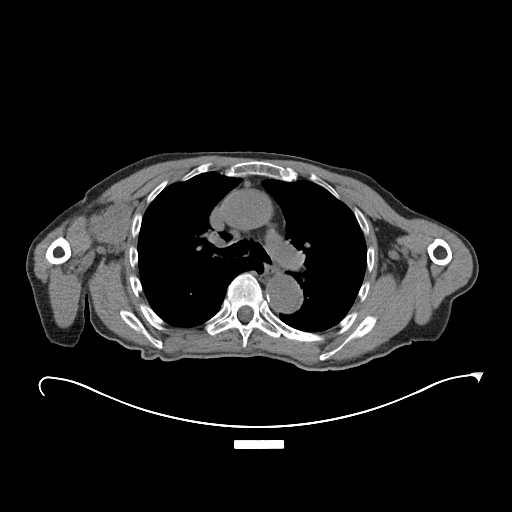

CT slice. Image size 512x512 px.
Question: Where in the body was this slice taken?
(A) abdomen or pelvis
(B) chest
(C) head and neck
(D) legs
Answer: (B) chest
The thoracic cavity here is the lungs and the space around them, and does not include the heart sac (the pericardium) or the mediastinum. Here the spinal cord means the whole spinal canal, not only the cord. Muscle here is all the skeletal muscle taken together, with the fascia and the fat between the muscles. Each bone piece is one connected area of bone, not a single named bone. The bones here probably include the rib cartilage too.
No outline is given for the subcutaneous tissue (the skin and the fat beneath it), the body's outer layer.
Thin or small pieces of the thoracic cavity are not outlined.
Outlines:
bones 1: (243, 272) (249, 272) (257, 280) (269, 308) (284, 323) (301, 331) (319, 333) (323, 335) (324, 339) (299, 341) (282, 334) (273, 337) (258, 328) (253, 328) (246, 346) (243, 347) (242, 336) (235, 327) (214, 335) (209, 334) (204, 328) (204, 323) (221, 308) (229, 284), around a hole outlined by (243, 306) (248, 306) (249, 307) (250, 307) (251, 308) (251, 309) (252, 310) (252, 311) (253, 312) (253, 314) (252, 315) (252, 317) (248, 321) (247, 321) (246, 322) (243, 322) (242, 321) (241, 321) (238, 318) (238, 311) (239, 310) (239, 309) (241, 307) (242, 307)
bones 2: (251, 160) (267, 161) (270, 163) (273, 163) (283, 167) (290, 167) (297, 172) (298, 174) (298, 178) (296, 180) (293, 181) (284, 181) (279, 179) (270, 178) (263, 175) (246, 175) (243, 177) (227, 176) (223, 173) (224, 170) (226, 168) (233, 164) (239, 162) (250, 161)
bones 3: (60, 236) (62, 236) (69, 243) (69, 245) (70, 246) (70, 249) (71, 250) (71, 254) (69, 258) (64, 262) (62, 263) (60, 263) (59, 264) (52, 264) (50, 263) (46, 259) (45, 257) (45, 253) (49, 245) (56, 238)
bones 4: (368, 315) (375, 316) (376, 317) (376, 321) (372, 328) (367, 333) (361, 337) (357, 337) (351, 339) (346, 344) (345, 344) (342, 348) (334, 353) (328, 359) (325, 360) (320, 360) (319, 359) (320, 354) (328, 352) (340, 345) (344, 340) (355, 330) (363, 319)
bones 5: (435, 238) (441, 238) (443, 239) (448, 244) (448, 245) (450, 247) (450, 249) (451, 250) (451, 259) (449, 261) (449, 262) (445, 265) (440, 265) (439, 264) (434, 263) (430, 259) (429, 257) (429, 255) (427, 251) (427, 246) (430, 243) (431, 243)
bones 6: (122, 309) (131, 311) (139, 319) (146, 330) (154, 338) (158, 339) (159, 340) (161, 340) (162, 342) (162, 348) (160, 349) (159, 348) (154, 347) (153, 345) (148, 340) (148, 339) (142, 333) (140, 332) (137, 332) (132, 328) (131, 328) (123, 320) (120, 315) (120, 310)
bones 7: (140, 303) (144, 303) (145, 304) (147, 304) (151, 308) (151, 309) (166, 323) (166, 324) (164, 326) (165, 327) (165, 329) (164, 330) (160, 330) (159, 329) (157, 329) (155, 327) (154, 327) (146, 319) (146, 318) (144, 316) (140, 309) (140, 307) (139, 306)
bones 8: (352, 311) (356, 311) (357, 312) (357, 316) (355, 318) (354, 321) (352, 323) (352, 324) (345, 331) (344, 331) (342, 333) (337, 334) (337, 331) (339, 329) (339, 327) (337, 325) (338, 324) (338, 323) (342, 319) (343, 319) (344, 318) (344, 317) (349, 312) (351, 312)
bones 9: (353, 207) (356, 207) (358, 208) (362, 212) (362, 213) (366, 218) (366, 220) (368, 224) (368, 227) (369, 228) (369, 233) (368, 235) (366, 236) (364, 236) (364, 234) (352, 210)
bones 10: (206, 162) (211, 162) (212, 163) (212, 165) (209, 168) (209, 170) (208, 171) (199, 173) (185, 180) (179, 180) (179, 179) (181, 177) (182, 177) (184, 175) (188, 173) (192, 169)
bones 11: (312, 172) (314, 173) (320, 179) (321, 179) (323, 181) (329, 184) (337, 192) (341, 200) (340, 199) (338, 199) (335, 196) (334, 196) (327, 189) (326, 189) (321, 185) (310, 180) (309, 179) (309, 176) (310, 175) (310, 173)
bones 12: (166, 179) (167, 180) (168, 180) (168, 184) (148, 204) (147, 204) (147, 203) (146, 202) (146, 198) (147, 197) (147, 196) (150, 193) (150, 192) (158, 184) (159, 184) (163, 180) (165, 180)
bones 13: (131, 274) (134, 274) (136, 275) (139, 278) (139, 280) (140, 281) (140, 283) (142, 287) (142, 292) (141, 292) (139, 294) (139, 296) (138, 297) (137, 297) (135, 295) (131, 287) (131, 285) (129, 281) (129, 276)
bones 14: (135, 213) (140, 213) (142, 215) (142, 218) (141, 219) (141, 224) (140, 225) (140, 228) (139, 229) (139, 232) (138, 233) (138, 235) (137, 237) (133, 237) (131, 233) (131, 226) (132, 225) (132, 221) (133, 220) (133, 218) (134, 217) (134, 215)
bones 15: (368, 246) (372, 246) (373, 247) (373, 248) (374, 249) (374, 261) (373, 262) (373, 266) (372, 267) (372, 269) (371, 270) (371, 271) (370, 271) (369, 272) (366, 269) (366, 266) (367, 265) (367, 247)
bones 16: (131, 245) (133, 245) (134, 246) (135, 246) (136, 247) (136, 248) (137, 249) (137, 265) (134, 268) (132, 268) (132, 267) (131, 266) (131, 265) (130, 264) (130, 261) (129, 260) (129, 247)
bones 17: (366, 280) (367, 281) (369, 281) (369, 283) (370, 284) (370, 285) (369, 286) (369, 289) (368, 290) (367, 295) (365, 297) (364, 300) (363, 301) (360, 301) (359, 298) (358, 297) (357, 297) (357, 295) (358, 294) (358, 292) (361, 287) (361, 285) (362, 284) (362, 283)
thoracic cavity 1: (209, 171) (241, 179) (213, 206) (208, 222) (216, 233) (229, 235) (230, 238) (224, 245) (228, 247) (231, 256) (253, 258) (260, 270) (253, 267) (236, 275) (226, 288) (220, 308) (202, 324) (174, 326) (167, 323) (148, 304) (139, 277) (138, 236) (146, 209) (169, 184)
thoracic cavity 2: (299, 178) (321, 186) (343, 202) (352, 211) (366, 245) (363, 281) (349, 311) (336, 325) (318, 332) (295, 328) (278, 316) (296, 312) (303, 303) (303, 290) (291, 274) (301, 273) (305, 269) (305, 253) (286, 238) (286, 220) (282, 209) (263, 182) (267, 179) (293, 182)
spinal cord: (243, 306) (248, 306) (249, 307) (250, 307) (251, 308) (251, 309) (252, 310) (252, 311) (253, 312) (253, 314) (252, 315) (252, 317) (248, 321) (247, 321) (246, 322) (243, 322) (242, 321) (241, 321) (238, 318) (238, 311) (239, 310) (239, 309) (241, 307) (242, 307)
left arm: (409, 208) (420, 213) (430, 216) (461, 233) (473, 246) (478, 260) (479, 270) (477, 278) (474, 284) (469, 290) (454, 299) (452, 303) (451, 314) (447, 326) (441, 336) (435, 341) (413, 341) (404, 328) (398, 310) (399, 271) (400, 270) (400, 228) (405, 215) (407, 213)
torso: (174, 151) (289, 154) (355, 169) (375, 179) (408, 207) (399, 228) (397, 310) (403, 328) (413, 342) (355, 367) (310, 371) (265, 356) (146, 360) (139, 350) (128, 349) (96, 332) (89, 319) (87, 303) (90, 237) (71, 205) (90, 187) (118, 169) (153, 154)
mediastinum: (246, 176) (269, 178) (262, 185) (281, 209) (285, 238) (304, 253) (304, 269) (290, 274) (301, 288) (303, 300) (289, 314) (277, 315) (272, 311) (258, 280) (247, 271) (260, 271) (258, 262) (253, 257) (231, 255) (225, 245) (230, 235) (216, 232) (209, 222) (214, 206)
muscle: (210, 155) (259, 159) (233, 163) (222, 172) (210, 170) (213, 163) (206, 161) (176, 181) (163, 179) (146, 196) (143, 214) (135, 212) (131, 221) (130, 233) (137, 244) (128, 247) (128, 260) (132, 269) (137, 266) (138, 276) (131, 273) (128, 281) (137, 298) (143, 292) (147, 303) (140, 302) (139, 309) (157, 330) (164, 331) (167, 324) (184, 328) (203, 324) (214, 336) (235, 328) (245, 348) (253, 329) (273, 338) (282, 335) (299, 342) (321, 342) (325, 337) (319, 332) (337, 326) (339, 335) (355, 321) (358, 312) (350, 310) (356, 298) (363, 302) (368, 295) (371, 284) (364, 276) (375, 261) (375, 249) (365, 240) (370, 233) (367, 218) (314, 172) (302, 178) (290, 166) (261, 159) (304, 162) (363, 182) (403, 217) (428, 220) (457, 236) (471, 254) (471, 276) (444, 298) (429, 322) (421, 325) (411, 319) (373, 350) (348, 360) (329, 359) (351, 340) (367, 334) (377, 321) (375, 315) (366, 315) (340, 344) (320, 353) (317, 363) (259, 349) (167, 353) (109, 329) (94, 309) (86, 277) (74, 320) (61, 328) (54, 321) (46, 286) (34, 273) (37, 244) (137, 170), around holes outlined by (374, 221) (383, 221) (389, 225) (396, 228) (397, 230) (399, 231) (399, 232) (394, 237) (393, 241) (390, 243) (390, 246) (391, 247) (387, 251) (388, 258) (386, 258) (383, 260) (380, 265) (379, 243) (378, 242) (378, 238) (376, 234) (376, 229) (373, 224) (373, 222) and by (60, 236) (62, 236) (69, 243) (69, 245) (70, 246) (70, 249) (71, 250) (71, 254) (69, 258) (64, 262) (62, 263) (60, 263) (59, 264) (52, 264) (50, 263) (46, 259) (45, 257) (45, 253) (49, 245) (56, 238) and by (435, 238) (441, 238) (443, 239) (448, 244) (448, 245) (450, 247) (450, 249) (451, 250) (451, 259) (449, 261) (449, 262) (445, 265) (440, 265) (439, 264) (434, 263) (430, 259) (429, 257) (429, 255) (427, 251) (427, 246) (430, 243) (431, 243) and by (122, 309) (131, 311) (139, 319) (146, 330) (154, 338) (158, 339) (159, 340) (161, 340) (162, 342) (162, 348) (160, 349) (159, 348) (154, 347) (153, 345) (148, 340) (148, 339) (142, 333) (140, 332) (137, 332) (132, 328) (131, 328) (123, 320) (120, 315) (120, 310)
right arm: (70, 206) (89, 237) (88, 239) (88, 255) (87, 256) (87, 274) (86, 275) (86, 301) (83, 312) (84, 313) (84, 327) (78, 342) (72, 347) (62, 346) (58, 344) (51, 343) (46, 337) (34, 302) (32, 290) (25, 270) (26, 255) (32, 240) (52, 220) (61, 212)